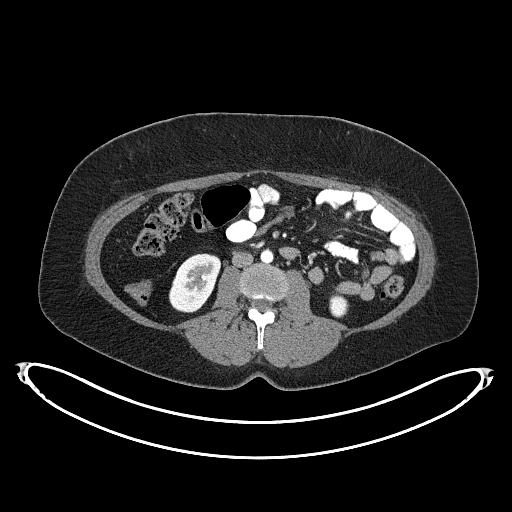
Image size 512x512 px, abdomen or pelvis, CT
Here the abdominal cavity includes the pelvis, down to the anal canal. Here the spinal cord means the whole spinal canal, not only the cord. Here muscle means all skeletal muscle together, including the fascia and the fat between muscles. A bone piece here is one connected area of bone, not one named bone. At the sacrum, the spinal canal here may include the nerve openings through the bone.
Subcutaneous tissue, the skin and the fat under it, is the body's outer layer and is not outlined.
The abdominal cavity is outlined by (350, 326) (367, 323) (394, 307) (417, 270) (413, 232) (364, 190) (299, 185) (260, 173) (201, 189) (163, 192) (118, 222) (102, 246) (102, 272) (115, 293) (160, 322) (174, 324) (209, 311) (226, 265) (242, 271) (260, 262) (283, 271) (300, 271) (310, 286) (312, 311). The spinal cord is outlined by (261, 312) (264, 312) (266, 310) (267, 310) (269, 308) (270, 308) (271, 307) (271, 302) (270, 302) (269, 301) (268, 301) (267, 300) (266, 300) (265, 299) (256, 299) (255, 300) (252, 300) (252, 305) (254, 307) (255, 307) (259, 311) (260, 311). The bones are outlined by (258, 349) (261, 349) (263, 347) (263, 331) (265, 325) (274, 321) (276, 315) (275, 303) (284, 297) (288, 287) (288, 284) (284, 273) (280, 269) (271, 265) (254, 263) (243, 270) (239, 283) (240, 284) (240, 290) (248, 299) (247, 316) (255, 322) (257, 327) (257, 347) with a hole at (261, 312) (264, 312) (266, 310) (267, 310) (269, 308) (270, 308) (271, 307) (271, 302) (270, 302) (269, 301) (268, 301) (267, 300) (266, 300) (265, 299) (256, 299) (255, 300) (252, 300) (252, 305) (254, 307) (255, 307) (259, 311) (260, 311). The torso is outlined by (287, 391) (331, 385) (376, 371) (449, 341) (466, 329) (477, 301) (478, 262) (466, 206) (449, 178) (426, 156) (389, 134) (320, 115) (189, 113) (130, 130) (88, 153) (68, 176) (48, 224) (38, 277) (38, 301) (45, 317) (85, 346) (170, 381) (224, 390) (261, 377). The muscle is outlined by (289, 368) (309, 365) (320, 360) (351, 334) (377, 329) (394, 322) (425, 295) (432, 283) (434, 274) (436, 262) (435, 248) (430, 233) (415, 210) (375, 185) (356, 184) (332, 176) (318, 176) (258, 168) (240, 172) (229, 171) (177, 180) (135, 192) (115, 202) (95, 218) (88, 232) (84, 250) (84, 275) (88, 283) (116, 309) (137, 323) (172, 332) (183, 337) (198, 353) (215, 363) (225, 366) (240, 366) (253, 360) (260, 354) (272, 365), around a hole outlined by (258, 349) (288, 287) (283, 272) (291, 268) (307, 280) (315, 314) (355, 326) (394, 307) (417, 270) (409, 226) (367, 191) (299, 185) (261, 173) (163, 192) (124, 217) (100, 256) (104, 277) (123, 301) (174, 324) (209, 311) (224, 267) (234, 265) (242, 272) (240, 290).